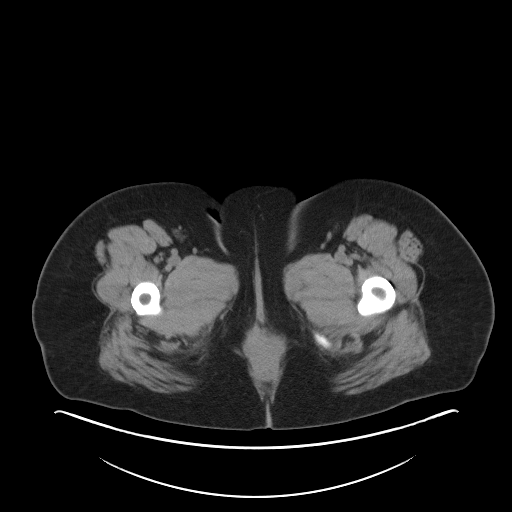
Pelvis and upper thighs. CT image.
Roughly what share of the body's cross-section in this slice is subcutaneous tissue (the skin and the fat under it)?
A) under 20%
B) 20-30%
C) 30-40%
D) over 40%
Answer: D) over 40%
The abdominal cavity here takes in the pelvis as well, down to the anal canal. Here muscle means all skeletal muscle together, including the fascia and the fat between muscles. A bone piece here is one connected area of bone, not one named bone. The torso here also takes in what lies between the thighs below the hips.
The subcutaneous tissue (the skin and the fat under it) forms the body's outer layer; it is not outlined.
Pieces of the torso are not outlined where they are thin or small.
The abdominal cavity is outlined by [[258,326],[281,340],[282,344],[281,346],[281,353],[279,356],[279,367],[277,372],[271,381],[269,380],[263,380],[262,381],[256,375],[252,367],[252,362],[247,350],[249,341],[253,336],[255,330]]. The torso is outlined by [[331,181],[299,213],[280,270],[281,276],[278,276],[264,307],[259,332],[252,294],[229,265],[213,217],[217,219],[218,214],[215,211],[211,211],[208,191],[220,200],[225,194],[235,188],[248,184],[270,182],[292,187],[297,193],[297,199],[302,200]]. The bones appear in 3 outlined pieces: piece 1: [[373,275],[379,275],[387,279],[393,286],[395,290],[396,296],[395,297],[394,303],[392,307],[390,309],[382,313],[376,313],[375,314],[364,316],[363,315],[361,315],[358,312],[357,310],[357,303],[359,299],[361,297],[361,285],[362,283],[366,278]]; piece 2: [[141,281],[151,281],[153,282],[157,286],[160,292],[160,306],[162,309],[161,312],[159,314],[157,315],[138,315],[132,307],[131,305],[131,302],[130,301],[130,297],[131,296],[131,293],[132,292],[132,290],[133,288],[139,282]]; piece 3: [[315,332],[317,332],[318,333],[319,333],[320,334],[325,336],[327,338],[327,339],[330,342],[330,343],[331,344],[330,345],[330,346],[328,348],[326,348],[325,347],[324,347],[317,343],[317,342],[315,340],[315,339],[314,338],[314,333]]. The right leg is outlined by [[155,181],[188,182],[207,190],[210,213],[228,265],[251,294],[253,301],[257,321],[266,428],[224,430],[164,422],[130,410],[113,409],[65,398],[56,391],[47,376],[40,346],[32,327],[31,305],[41,268],[50,249],[70,221],[94,200],[122,187]]. The left leg is outlined by [[357,176],[387,179],[419,191],[447,215],[472,245],[488,274],[495,305],[495,319],[486,350],[473,380],[467,387],[461,390],[409,401],[377,414],[337,424],[287,430],[267,428],[259,342],[265,307],[279,276],[282,276],[281,270],[301,211],[336,179]]. The muscle appears in 3 outlined pieces: piece 1: [[147,218],[162,226],[190,254],[229,263],[239,274],[233,307],[208,345],[207,355],[198,364],[186,366],[202,381],[190,391],[160,393],[141,385],[132,386],[113,379],[98,363],[99,334],[107,308],[92,291],[92,280],[100,270],[95,245],[111,225]], around a hole outlined by [[141,281],[151,281],[153,282],[157,286],[160,292],[160,306],[162,309],[161,312],[159,314],[157,315],[138,315],[132,307],[131,305],[131,302],[130,301],[130,297],[131,296],[131,293],[132,292],[132,290],[133,288],[139,282]]; piece 2: [[363,213],[400,222],[423,245],[419,261],[425,280],[419,300],[424,311],[431,354],[421,366],[408,373],[361,393],[345,395],[330,390],[328,379],[334,370],[319,355],[308,332],[302,329],[284,293],[282,270],[305,254],[329,252],[339,241],[349,221]]; inner edges: [[373,275],[379,275],[387,279],[393,286],[395,290],[396,296],[395,297],[394,303],[392,307],[390,309],[382,313],[376,313],[375,314],[364,316],[363,315],[361,315],[358,312],[357,310],[357,303],[359,299],[361,297],[361,285],[362,283],[366,278]], then [[315,332],[317,332],[318,333],[319,333],[320,334],[325,336],[327,338],[327,339],[330,342],[330,343],[331,344],[330,345],[330,346],[328,348],[326,348],[325,347],[324,347],[317,343],[317,342],[315,340],[315,339],[314,338],[314,333]]; piece 3: [[258,319],[268,322],[278,334],[281,333],[285,335],[288,340],[288,348],[285,354],[284,370],[274,397],[271,401],[269,397],[266,397],[265,399],[261,400],[248,373],[246,359],[236,351],[241,348],[241,343],[245,337],[246,331],[251,328],[255,321]]; inner edge: [[258,326],[281,340],[282,344],[281,346],[281,353],[279,356],[279,367],[277,372],[271,381],[269,380],[263,380],[262,381],[256,375],[252,367],[252,362],[247,350],[249,341],[253,336],[255,330]].